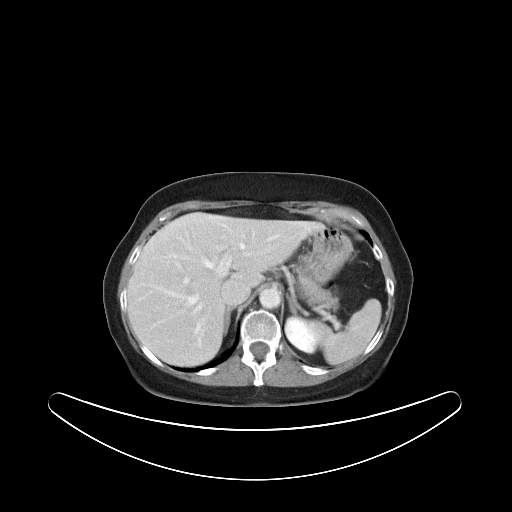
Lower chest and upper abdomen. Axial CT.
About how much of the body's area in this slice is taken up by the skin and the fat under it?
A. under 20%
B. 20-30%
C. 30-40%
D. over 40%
B. 20-30%
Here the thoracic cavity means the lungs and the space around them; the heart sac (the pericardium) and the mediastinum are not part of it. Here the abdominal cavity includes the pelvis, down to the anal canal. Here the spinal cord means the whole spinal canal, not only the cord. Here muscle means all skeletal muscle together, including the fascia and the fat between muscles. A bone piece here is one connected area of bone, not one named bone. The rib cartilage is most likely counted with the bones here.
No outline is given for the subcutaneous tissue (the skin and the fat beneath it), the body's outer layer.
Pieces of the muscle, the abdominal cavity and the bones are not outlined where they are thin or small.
{"torso":[[[231,171],[303,172],[334,176],[365,187],[383,204],[409,257],[413,286],[405,327],[386,371],[377,383],[350,396],[320,403],[282,407],[226,407],[187,403],[156,396],[130,379],[109,332],[102,301],[102,281],[110,256],[143,202],[156,190],[184,178]]],"muscle":[[[197,199],[210,201],[238,199],[262,202],[322,200],[351,206],[357,209],[367,219],[381,241],[396,279],[394,313],[389,331],[380,348],[356,367],[316,385],[304,387],[275,387],[264,385],[263,373],[276,364],[276,353],[278,350],[281,352],[284,348],[281,339],[293,355],[303,362],[300,364],[300,367],[307,374],[317,376],[328,373],[329,369],[327,368],[333,368],[344,364],[361,353],[364,355],[367,354],[374,348],[383,334],[384,331],[381,326],[387,309],[388,297],[392,297],[395,293],[394,282],[389,276],[384,274],[380,263],[383,258],[383,253],[379,246],[373,242],[370,235],[364,230],[365,225],[363,221],[355,214],[337,207],[327,208],[315,206],[309,207],[306,213],[300,213],[292,212],[278,205],[260,203],[223,208],[186,210],[167,219],[171,214],[171,212],[168,211],[158,218],[158,220],[162,222],[147,236],[141,245],[137,245],[131,252],[128,258],[128,263],[131,265],[131,268],[126,284],[119,294],[118,301],[117,287],[121,269],[127,255],[143,229],[155,215],[165,207],[178,202]],[[120,309],[126,313],[129,327],[141,351],[155,365],[163,367],[166,364],[179,371],[208,376],[218,369],[218,364],[231,355],[239,342],[242,350],[240,361],[252,370],[254,375],[253,385],[207,386],[180,379],[157,369],[138,354],[130,344],[121,320]]],"thoracic_cavity":[[[238,329],[239,329],[239,340],[235,348],[227,358],[218,363],[216,365],[214,366],[210,366],[209,367],[201,368],[195,371],[184,371],[183,370],[176,369],[173,367],[178,367],[179,368],[196,368],[200,366],[203,366],[221,357],[234,344],[236,340]],[[362,231],[365,231],[369,235],[369,236],[370,237],[370,238],[371,239],[371,240],[372,241],[372,245],[368,241],[368,240],[364,236],[364,235],[362,233]]],"mediastinum":[[[266,289],[271,289],[277,292],[279,295],[281,311],[279,314],[279,317],[278,318],[272,312],[263,308],[251,309],[249,311],[246,312],[247,310],[249,310],[250,308],[254,305],[254,303],[256,301],[256,298],[258,297],[258,295],[260,292]]],"spinal_cord":[[[256,342],[262,342],[266,344],[268,347],[268,350],[267,352],[264,355],[264,357],[263,359],[261,359],[260,360],[258,359],[256,359],[254,355],[250,350],[250,346],[251,344],[253,343],[255,343]]],"bones":[{"outer":[[258,309],[266,310],[277,318],[281,327],[280,343],[283,345],[282,350],[278,349],[275,353],[275,364],[268,367],[262,373],[261,377],[263,385],[261,386],[255,386],[253,384],[255,378],[253,370],[241,361],[243,350],[239,341],[242,318],[251,310]],"hole":[[256,342],[262,342],[266,344],[268,347],[268,350],[267,352],[264,355],[264,357],[263,359],[261,359],[260,360],[258,359],[256,359],[254,355],[250,350],[250,346],[251,344],[253,343],[255,343]]},[[315,207],[317,208],[326,208],[327,209],[328,208],[337,208],[338,209],[345,210],[358,217],[362,221],[364,225],[364,228],[362,229],[353,223],[347,220],[345,220],[340,217],[322,217],[314,214],[309,214],[307,213],[307,210],[309,208],[314,208]],[[130,324],[131,324],[133,327],[133,329],[143,343],[147,346],[147,347],[155,356],[163,362],[163,366],[159,366],[155,364],[145,355],[140,347],[140,344],[138,340],[132,332],[132,330],[130,326],[131,325]],[[301,364],[306,364],[307,365],[309,365],[310,366],[313,366],[314,367],[315,366],[318,366],[319,367],[323,367],[324,368],[328,369],[328,372],[324,373],[323,374],[318,374],[317,375],[314,375],[313,374],[309,374],[307,373],[301,367]],[[380,328],[381,328],[383,331],[377,343],[373,347],[373,348],[367,353],[365,354],[362,353],[361,352],[363,351],[364,349],[368,345],[368,344],[370,342],[372,338],[374,337],[374,335],[376,333],[376,332]],[[125,287],[126,287],[126,288],[127,289],[127,291],[126,292],[126,298],[127,299],[127,313],[125,311],[124,312],[121,310],[121,309],[120,308],[120,304],[119,303],[119,297],[120,296],[120,294],[121,293],[121,292],[122,291],[122,290]],[[385,276],[387,276],[388,277],[389,277],[392,280],[392,281],[393,282],[393,284],[394,285],[394,293],[393,294],[393,295],[392,296],[388,296],[388,294],[387,293],[387,291],[386,290],[386,283],[385,282]],[[215,366],[216,366],[217,367],[217,369],[214,372],[213,372],[212,373],[211,373],[208,375],[199,375],[198,374],[197,374],[195,372],[196,371],[198,371],[201,369],[204,369],[205,368],[209,368],[210,367],[214,367]],[[373,243],[375,243],[378,246],[378,247],[380,249],[380,250],[381,251],[381,252],[382,253],[382,258],[380,260],[378,260],[375,257],[375,256],[374,255],[374,254],[373,253],[373,251],[372,250],[372,246],[373,245]],[[140,245],[141,246],[141,247],[139,249],[139,253],[137,255],[137,257],[136,258],[135,261],[132,264],[130,264],[129,263],[129,258],[130,257],[130,256],[131,255],[132,252],[134,250],[134,249],[137,246],[139,246]]],"abdominal_cavity":[[[260,204],[292,213],[339,218],[363,230],[384,275],[387,301],[380,327],[363,350],[344,363],[333,367],[304,363],[282,339],[279,293],[266,288],[245,311],[233,344],[221,356],[196,367],[164,363],[128,321],[126,285],[142,245],[164,221],[182,212]]]}